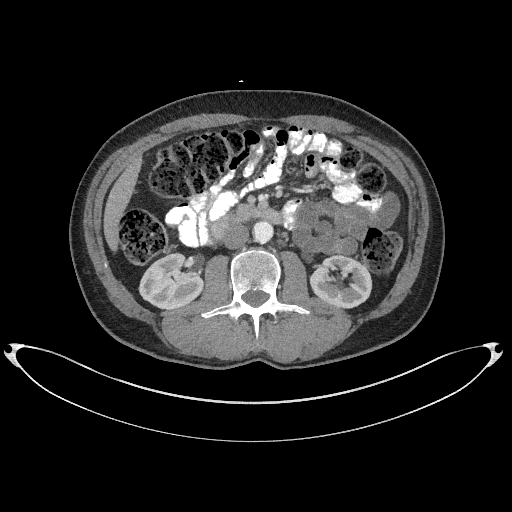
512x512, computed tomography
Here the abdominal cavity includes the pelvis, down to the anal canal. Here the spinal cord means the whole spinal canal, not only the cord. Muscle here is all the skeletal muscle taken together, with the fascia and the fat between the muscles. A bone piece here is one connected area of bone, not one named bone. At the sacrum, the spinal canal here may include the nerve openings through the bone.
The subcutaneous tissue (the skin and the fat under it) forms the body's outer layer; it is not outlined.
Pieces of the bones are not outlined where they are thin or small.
{"spinal_cord":[[[252,306],[258,306],[259,305],[260,305],[267,299],[267,298],[268,297],[268,295],[266,293],[265,293],[262,291],[260,291],[259,290],[257,290],[256,291],[253,291],[252,290],[250,290],[249,291],[246,292],[242,296],[242,298],[247,303],[250,304]]],"muscle":[{"outer":[[283,363],[289,363],[298,360],[304,361],[316,358],[323,355],[328,350],[342,343],[364,322],[374,318],[377,318],[390,312],[409,293],[410,288],[415,281],[419,272],[422,256],[424,251],[425,241],[427,237],[428,227],[429,226],[429,206],[428,205],[427,194],[422,177],[413,161],[396,146],[373,133],[364,131],[344,120],[341,120],[330,116],[315,115],[314,114],[298,114],[297,115],[291,115],[285,117],[265,117],[264,116],[252,116],[249,117],[245,115],[234,114],[233,113],[201,113],[200,114],[196,114],[195,115],[179,118],[167,122],[155,128],[146,135],[138,138],[132,143],[124,145],[111,153],[99,166],[92,178],[86,194],[86,199],[85,200],[85,205],[83,212],[83,220],[82,221],[84,238],[88,254],[95,269],[95,273],[101,281],[103,286],[106,289],[106,293],[109,300],[125,315],[129,317],[136,318],[149,324],[151,326],[153,331],[164,345],[173,349],[175,352],[186,355],[195,355],[206,358],[218,358],[222,360],[241,359],[252,354],[253,355],[263,352],[272,359]],"hole":[[256,338],[264,313],[310,313],[276,297],[283,250],[303,262],[310,295],[354,314],[375,307],[407,251],[407,196],[378,159],[305,125],[179,133],[136,156],[108,188],[104,267],[161,311],[197,299],[206,262],[227,255],[233,297],[201,316],[248,314]]}],"torso":[[[213,370],[254,361],[283,370],[342,361],[394,343],[421,321],[431,305],[441,271],[444,216],[427,165],[397,129],[351,102],[323,93],[225,89],[159,106],[118,129],[100,146],[78,183],[68,226],[72,264],[91,314],[108,334],[133,349],[159,360]]],"bones":[{"outer":[[256,338],[262,314],[269,313],[276,318],[277,312],[309,314],[310,311],[277,299],[281,267],[276,255],[261,248],[250,248],[237,253],[230,261],[231,301],[203,312],[201,316],[207,318],[227,314],[236,321],[240,315],[248,314],[253,320]],"hole":[[252,306],[258,306],[259,305],[260,305],[267,299],[267,298],[268,297],[268,295],[266,293],[265,293],[262,291],[260,291],[259,290],[257,290],[256,291],[253,291],[252,290],[250,290],[249,291],[246,292],[242,296],[242,298],[247,303],[250,304]]}],"abdominal_cavity":[[[354,314],[375,307],[387,293],[408,246],[403,187],[354,144],[277,121],[191,130],[136,156],[108,188],[101,234],[109,265],[146,307],[161,311],[190,303],[203,291],[212,256],[230,260],[242,249],[261,247],[276,254],[294,251],[306,268],[310,295]]]}